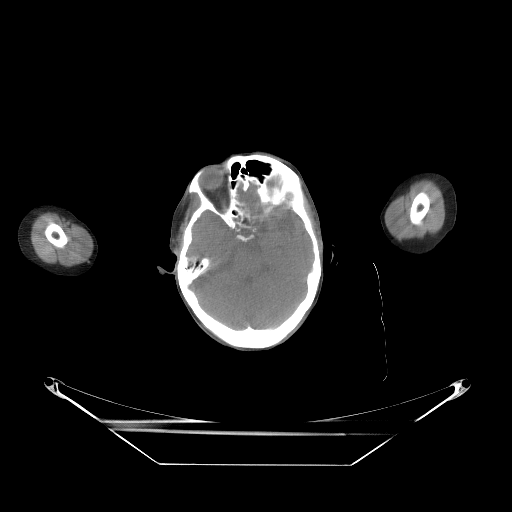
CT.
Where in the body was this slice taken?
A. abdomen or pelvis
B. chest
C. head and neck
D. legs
Answer: C. head and neck
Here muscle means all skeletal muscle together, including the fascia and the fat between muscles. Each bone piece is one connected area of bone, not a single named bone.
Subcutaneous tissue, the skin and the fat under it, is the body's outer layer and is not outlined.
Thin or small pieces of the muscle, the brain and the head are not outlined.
The bones appear in 3 outlined pieces: piece 1: 252 154; 276 158; 299 176; 322 265; 315 297; 300 322; 279 343; 263 348; 232 346; 210 331; 185 300; 176 270; 184 229; 200 203; 198 195; 188 191; 192 178; 202 170; 198 179; 200 188; 221 209; 229 199; 224 161; 233 155; inner edges: 251 186; 262 216; 284 204; 301 220; 313 258; 305 293; 287 317; 275 326; 235 328; 206 311; 190 287; 210 268; 211 259; 187 253; 194 224; 206 211; 233 230; 237 240; 254 238; 256 228; 250 223; 257 215; 240 197; 240 190, then 250 161; 257 161; 258 162; 267 166; 267 168; 268 169; 268 172; 263 173; 261 176; 261 178; 257 175; 252 174; 251 173; 251 172; 247 169; 246 170; 244 170; 245 170; 247 168; 247 164; 248 163; 248 162; 249 162, then 234 164; 238 164; 238 168; 237 169; 237 171; 236 172; 236 173; 235 174; 235 175; 233 175; 233 172; 232 171; 233 170; 233 166; 234 165; piece 2: 421 191; 427 194; 427 195; 430 199; 430 204; 429 205; 429 209; 428 211; 422 219; 422 223; 420 225; 415 225; 411 223; 410 221; 410 219; 409 218; 409 212; 410 211; 410 207; 411 206; 413 198; 419 192; piece 3: 50 221; 52 221; 56 223; 58 225; 59 225; 62 228; 62 229; 64 231; 65 234; 68 238; 68 241; 67 243; 62 248; 58 248; 56 247; 53 244; 52 244; 47 239; 47 238; 45 236; 44 231; 45 230; 45 228; 46 226. The left arm is outlined by 422 169; 433 169; 440 171; 451 181; 456 193; 457 215; 456 216; 456 221; 453 228; 446 235; 443 240; 433 250; 428 253; 422 255; 418 255; 399 249; 392 245; 389 242; 383 232; 380 223; 380 212; 395 187; 408 175; 415 171. The brain is outlined by 251 186; 262 216; 284 204; 301 220; 313 258; 305 293; 287 317; 275 326; 235 328; 206 311; 190 287; 210 268; 211 259; 187 253; 194 224; 206 211; 233 230; 237 240; 254 238; 256 228; 250 223; 257 215; 240 197; 240 190. The right arm is outlined by 49 202; 59 204; 70 210; 80 220; 87 224; 97 239; 97 242; 98 243; 97 257; 94 264; 84 273; 82 273; 77 276; 61 276; 50 273; 27 260; 21 253; 19 249; 19 246; 17 241; 17 229; 22 217; 34 206. The head is outlined by 254 150; 273 152; 300 171; 320 220; 324 279; 319 303; 303 327; 287 343; 271 351; 242 353; 219 345; 197 327; 178 298; 174 277; 160 274; 157 265; 168 271; 174 266; 176 258; 169 255; 172 215; 198 169; 219 162; 231 152 with holes at 250 161; 257 161; 258 162; 267 166; 267 168; 268 169; 268 172; 263 173; 261 176; 261 178; 257 175; 252 174; 251 173; 251 172; 247 169; 246 170; 244 170; 245 170; 247 168; 247 164; 248 163; 248 162; 249 162 and at 234 164; 238 164; 238 168; 237 169; 237 171; 236 172; 236 173; 235 174; 235 175; 233 175; 233 172; 232 171; 233 170; 233 166; 234 165. The muscle appears in 4 outlined pieces: piece 1: 423 178; 432 179; 442 190; 444 197; 444 202; 445 203; 445 212; 446 213; 445 214; 445 219; 443 226; 438 234; 428 242; 413 244; 404 241; 399 241; 394 238; 387 229; 384 218; 385 212; 390 203; 400 193; 407 188; 413 182, around a hole outlined by 421 191; 427 194; 427 195; 430 199; 430 204; 429 205; 429 209; 428 211; 422 219; 422 223; 420 225; 415 225; 411 223; 410 221; 410 219; 409 218; 409 212; 410 211; 410 207; 411 206; 413 198; 419 192; piece 2: 46 211; 51 211; 52 212; 55 211; 60 214; 67 216; 73 219; 86 229; 92 239; 93 242; 93 250; 88 262; 85 265; 81 265; 75 267; 64 267; 63 266; 51 265; 42 261; 36 255; 30 239; 31 225; 33 220; 39 213; inner edge: 50 221; 52 221; 56 223; 58 225; 59 225; 62 228; 62 229; 64 231; 65 234; 68 238; 68 241; 67 243; 62 248; 58 248; 56 247; 53 244; 52 244; 47 239; 47 238; 45 236; 44 231; 45 230; 45 228; 46 226; piece 3: 187 190; 190 194; 191 193; 194 193; 197 195; 199 200; 199 203; 197 207; 191 213; 189 219; 183 229; 182 237; 181 238; 181 245; 177 256; 175 253; 175 232; 176 231; 176 223; 177 222; 177 217; 182 204; 182 201; 185 196; piece 4: 304 191; 311 205; 312 210; 314 213; 314 218; 316 221; 318 235; 319 236; 320 244; 321 245; 321 259; 321 251; 319 248; 318 240; 315 234; 315 231; 313 228; 312 221; 308 214; 308 212; 305 206; 306 198; 305 197.